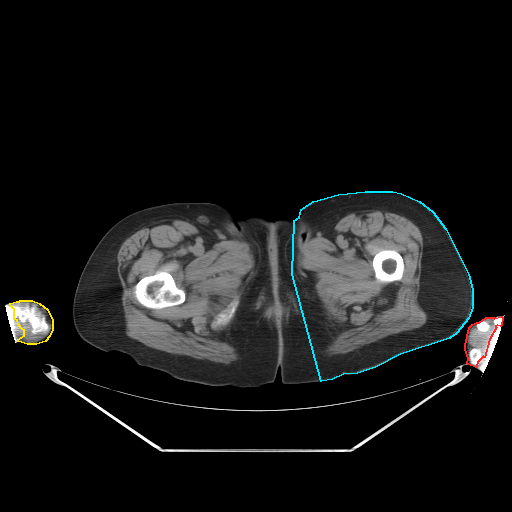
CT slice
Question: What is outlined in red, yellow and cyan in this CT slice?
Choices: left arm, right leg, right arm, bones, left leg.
Answer: red: left arm; yellow: right arm; cyan: left leg.
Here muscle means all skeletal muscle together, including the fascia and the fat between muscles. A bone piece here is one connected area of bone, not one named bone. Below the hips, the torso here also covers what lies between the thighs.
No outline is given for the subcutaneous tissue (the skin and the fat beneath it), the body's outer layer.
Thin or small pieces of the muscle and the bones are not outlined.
{"left_arm":[[[501,316],[502,317],[501,325],[500,326],[497,325],[495,326],[496,327],[489,339],[484,357],[483,356],[477,362],[475,367],[468,364],[467,363],[468,358],[465,349],[465,345],[469,327],[472,324],[476,322],[479,322],[486,317],[493,317],[494,318]]],"right_arm":[[[20,300],[32,300],[39,303],[47,309],[52,320],[52,329],[49,336],[45,341],[36,344],[27,344],[18,341],[18,339],[24,335],[24,330],[22,329],[18,324],[17,320],[14,319],[14,309],[11,306],[10,303],[16,301],[19,301]]],"left_leg":[[[365,191],[392,191],[401,193],[419,201],[432,211],[445,228],[468,274],[472,289],[472,307],[468,318],[456,333],[449,338],[400,354],[375,367],[357,373],[343,374],[332,379],[321,381],[292,274],[294,220],[299,217],[301,209],[313,201],[338,194]]],"muscle":[{"outer":[[173,219],[188,221],[220,241],[233,239],[246,242],[253,254],[255,273],[247,285],[233,322],[223,332],[223,340],[233,346],[239,355],[239,359],[229,364],[157,350],[130,338],[125,333],[121,301],[122,286],[117,274],[119,247],[137,230],[161,220]],"holes":[[[158,270],[165,271],[171,274],[175,281],[176,285],[184,291],[185,293],[185,300],[182,303],[177,305],[160,308],[159,309],[153,309],[152,308],[147,308],[143,306],[136,299],[134,295],[134,286],[135,284],[141,278],[147,275],[154,274],[156,271]],[[237,299],[238,300],[238,303],[237,304],[236,309],[234,313],[230,318],[230,319],[226,323],[224,324],[218,324],[216,325],[215,324],[215,322],[216,321],[216,318],[217,317],[217,315],[219,313],[222,312],[232,301],[234,300],[236,300]]]},{"outer":[[361,210],[381,210],[393,212],[408,218],[419,228],[424,246],[417,301],[426,313],[427,320],[418,328],[384,337],[353,351],[328,355],[324,350],[338,334],[340,329],[328,318],[312,286],[300,274],[297,266],[297,258],[300,247],[305,241],[348,213]],"hole":[[383,249],[391,249],[392,250],[395,250],[402,256],[403,263],[404,264],[404,269],[403,270],[402,277],[400,280],[395,280],[392,282],[388,282],[387,283],[386,282],[381,282],[376,279],[375,277],[375,273],[372,266],[372,261],[374,255],[380,250]]},[[492,321],[496,327],[489,339],[489,341],[486,348],[485,355],[484,357],[483,356],[482,357],[482,353],[480,350],[478,350],[475,348],[472,348],[472,346],[470,343],[470,338],[471,337],[472,332],[474,329],[478,331],[485,332],[490,325],[488,323]],[[17,320],[18,320],[21,323],[28,322],[31,328],[30,330],[30,332],[32,334],[36,334],[35,335],[36,336],[36,339],[35,340],[30,340],[29,339],[26,339],[22,337],[22,336],[24,335],[24,330],[22,329],[22,328],[18,324],[18,322]]],"right_leg":[[[173,202],[211,202],[219,204],[228,209],[237,218],[246,217],[256,238],[245,329],[249,387],[214,386],[175,378],[165,372],[142,366],[124,353],[103,351],[89,344],[79,336],[74,327],[72,303],[75,289],[83,267],[99,240],[123,217],[140,209]]],"bones":[[[158,270],[165,271],[171,274],[175,281],[176,285],[184,291],[185,293],[185,300],[182,303],[177,305],[160,308],[159,309],[153,309],[152,308],[147,308],[143,306],[136,299],[134,295],[134,286],[135,284],[141,278],[147,275],[154,274],[156,271]],[[383,249],[391,249],[392,250],[395,250],[402,256],[403,263],[404,264],[404,269],[403,270],[402,277],[400,280],[395,280],[392,282],[388,282],[387,283],[386,282],[381,282],[376,279],[375,277],[375,273],[372,266],[372,261],[374,255],[380,250]],[[30,305],[33,308],[35,308],[33,312],[39,320],[42,321],[43,320],[42,314],[44,315],[45,323],[48,327],[44,330],[40,330],[37,333],[32,333],[31,332],[32,328],[28,321],[21,322],[18,319],[14,319],[14,308],[16,306],[22,310]],[[237,299],[238,300],[238,303],[237,304],[236,309],[234,313],[230,318],[230,319],[226,323],[224,324],[218,324],[216,325],[215,324],[215,322],[216,321],[216,318],[217,317],[217,315],[219,313],[222,312],[232,301],[234,300],[236,300]],[[471,349],[475,349],[478,351],[480,351],[480,352],[481,353],[481,358],[479,360],[479,361],[478,361],[477,362],[477,363],[475,365],[474,364],[473,364],[472,363],[471,363],[471,362],[470,361],[470,358],[469,357],[469,352]],[[481,320],[484,320],[485,321],[487,321],[488,322],[487,323],[489,325],[488,326],[488,327],[486,329],[486,330],[485,331],[482,331],[481,330],[478,330],[477,329],[476,329],[476,325],[477,324],[477,323],[478,322],[479,322]]],"torso":[[[249,215],[259,215],[271,219],[277,217],[288,217],[293,220],[291,274],[320,381],[301,384],[284,384],[281,381],[281,374],[280,371],[278,370],[276,373],[275,380],[273,382],[262,386],[250,387],[246,329],[257,238],[247,218],[247,216]]]}